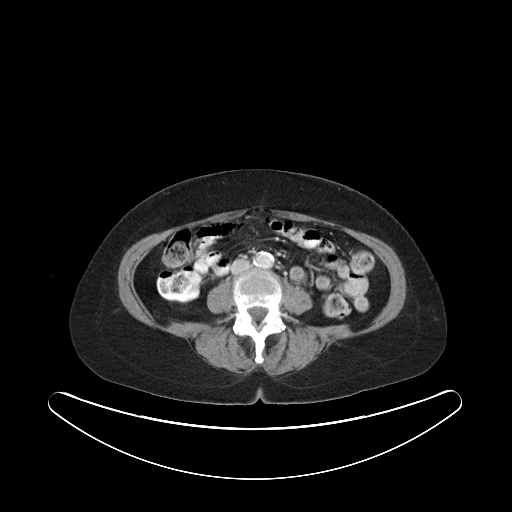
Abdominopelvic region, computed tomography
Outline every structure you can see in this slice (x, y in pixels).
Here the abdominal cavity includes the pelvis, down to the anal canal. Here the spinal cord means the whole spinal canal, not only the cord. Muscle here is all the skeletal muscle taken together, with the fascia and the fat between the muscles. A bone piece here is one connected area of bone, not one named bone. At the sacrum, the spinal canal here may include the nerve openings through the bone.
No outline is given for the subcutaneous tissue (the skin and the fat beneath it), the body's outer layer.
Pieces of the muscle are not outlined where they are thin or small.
{"muscle":[{"outer":[[259,204],[273,209],[299,212],[339,223],[374,236],[392,247],[401,261],[406,279],[406,297],[404,305],[397,316],[374,331],[333,343],[326,351],[322,352],[304,368],[282,377],[272,377],[261,370],[253,371],[246,377],[237,377],[225,373],[203,361],[201,357],[189,347],[184,339],[153,328],[136,319],[123,306],[118,295],[117,284],[117,272],[120,261],[131,245],[152,233],[160,232],[183,223],[216,213],[242,209]],"hole":[[252,211],[333,227],[373,250],[387,268],[389,293],[370,323],[355,330],[283,316],[285,329],[265,338],[257,363],[253,339],[233,331],[237,306],[228,280],[205,298],[207,309],[223,316],[208,323],[158,321],[134,284],[140,262],[180,228]]},[[283,282],[287,282],[293,286],[298,286],[301,288],[303,288],[307,292],[309,292],[312,302],[313,303],[311,308],[299,315],[296,315],[293,313],[288,312],[286,310],[285,312],[284,311],[282,311],[280,309],[280,305],[283,298],[283,285],[282,284]]],"bones":[{"outer":[[251,270],[270,271],[278,276],[282,285],[282,298],[279,309],[296,320],[282,317],[286,327],[284,330],[269,334],[265,338],[262,351],[263,361],[261,363],[255,361],[255,343],[253,339],[248,335],[238,335],[233,331],[237,312],[232,292],[233,281]],"hole":[[252,307],[262,307],[263,308],[265,308],[267,310],[267,312],[266,313],[266,314],[264,316],[264,317],[260,321],[259,321],[258,322],[257,322],[256,321],[254,321],[253,320],[251,315],[249,313],[249,312],[248,311],[248,309],[249,309]]}],"torso":[[[242,168],[301,172],[345,184],[375,200],[404,226],[434,273],[448,318],[445,349],[427,371],[325,401],[269,404],[259,399],[248,405],[220,405],[171,399],[110,382],[80,360],[68,331],[69,307],[89,260],[115,223],[137,203],[166,186],[198,175]]],"spinal_cord":[[[252,307],[262,307],[263,308],[265,308],[267,310],[267,312],[266,313],[266,314],[264,316],[264,317],[260,321],[259,321],[258,322],[257,322],[256,321],[254,321],[253,320],[251,315],[249,313],[249,312],[248,311],[248,309],[249,309]]],"abdominal_cavity":[[[252,211],[333,227],[373,250],[387,268],[389,293],[370,323],[355,330],[347,323],[314,325],[294,318],[286,311],[299,316],[310,310],[310,292],[259,269],[207,292],[207,309],[223,316],[208,323],[158,321],[134,284],[140,262],[180,228]]]}